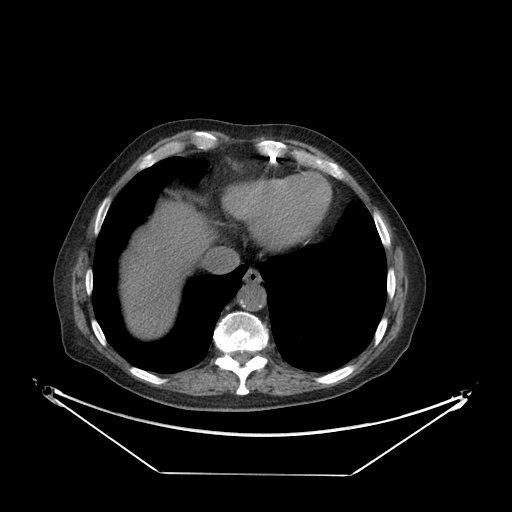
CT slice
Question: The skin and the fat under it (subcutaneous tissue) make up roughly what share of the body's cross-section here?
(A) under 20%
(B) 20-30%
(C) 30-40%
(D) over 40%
Answer: (A) under 20%
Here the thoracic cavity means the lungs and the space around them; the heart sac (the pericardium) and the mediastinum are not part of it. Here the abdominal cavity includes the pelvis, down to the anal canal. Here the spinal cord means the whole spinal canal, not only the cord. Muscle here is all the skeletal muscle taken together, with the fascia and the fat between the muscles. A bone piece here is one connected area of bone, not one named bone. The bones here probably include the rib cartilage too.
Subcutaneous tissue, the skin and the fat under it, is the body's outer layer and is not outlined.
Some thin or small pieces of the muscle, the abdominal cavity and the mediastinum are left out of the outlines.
{"pericardium":[[[252,161],[285,161],[289,164],[309,169],[311,168],[321,172],[333,182],[337,188],[336,205],[330,220],[313,243],[287,253],[274,255],[271,252],[261,250],[234,233],[228,227],[220,224],[218,221],[220,220],[212,214],[209,195],[213,184],[226,169]]],"abdominal_cavity":[[[172,180],[188,182],[205,198],[205,205],[211,214],[219,220],[217,221],[223,227],[223,232],[218,241],[202,258],[197,275],[186,282],[172,329],[158,340],[144,342],[132,337],[124,325],[116,291],[117,262],[132,230],[144,221],[152,211],[158,194]]],"torso":[[[196,117],[241,124],[279,122],[304,126],[342,145],[370,173],[408,228],[426,274],[425,299],[409,347],[390,370],[350,392],[322,401],[259,411],[190,411],[143,398],[64,352],[52,276],[58,252],[83,198],[110,162],[141,133],[167,121]]],"thoracic_cavity":[[[358,200],[364,204],[371,214],[384,248],[387,270],[386,299],[382,316],[376,326],[372,340],[363,351],[347,364],[325,373],[306,371],[286,362],[275,350],[274,332],[269,318],[268,294],[265,280],[258,267],[270,256],[287,254],[327,240],[350,202]],[[170,156],[205,162],[206,172],[196,184],[173,176],[117,257],[115,291],[127,333],[144,343],[164,338],[176,324],[191,278],[247,268],[220,312],[207,356],[177,372],[154,373],[132,365],[107,341],[92,301],[93,262],[112,202],[138,172]]],"mediastinum":[[[222,226],[261,251],[273,254],[260,262],[257,267],[264,280],[267,294],[274,350],[269,347],[270,328],[257,315],[245,310],[233,310],[220,316],[226,304],[241,287],[241,278],[248,264],[242,263],[226,273],[198,274],[203,258],[221,238],[224,232]],[[218,146],[247,146],[261,155],[292,158],[305,166],[285,160],[252,160],[244,163],[240,159],[229,157],[225,163],[230,168],[219,175],[209,191],[208,207],[206,198],[190,184],[198,183],[206,174],[208,164],[196,158],[174,155],[192,150],[206,151]],[[314,169],[317,169],[325,172],[332,177],[343,181],[353,191],[359,199],[352,200],[349,202],[344,211],[337,220],[330,236],[327,239],[317,243],[314,243],[323,232],[334,214],[334,211],[336,208],[338,200],[338,188],[336,187],[334,182],[325,173]]],"spinal_cord":[[[237,351],[239,351],[240,352],[244,352],[245,351],[247,351],[248,352],[249,352],[251,354],[251,357],[247,361],[246,361],[244,364],[241,365],[240,364],[240,363],[237,360],[236,360],[232,356],[233,353],[234,353]]],"bones":[{"outer":[[233,311],[245,311],[257,316],[268,326],[270,333],[269,346],[261,352],[267,358],[267,363],[260,370],[249,373],[245,379],[249,393],[244,395],[236,394],[240,382],[238,376],[231,370],[221,369],[212,361],[221,354],[213,343],[216,323],[220,317]],"hole":[[237,351],[239,351],[240,352],[244,352],[245,351],[247,351],[248,352],[249,352],[251,354],[251,357],[247,361],[246,361],[244,364],[241,365],[240,364],[240,363],[237,360],[236,360],[232,356],[233,353],[234,353]]},[[262,140],[275,140],[276,141],[280,141],[286,144],[290,150],[295,148],[302,149],[321,159],[325,159],[336,163],[342,169],[345,175],[345,179],[344,180],[341,180],[320,169],[300,164],[288,153],[285,157],[261,154],[256,150],[255,144],[257,142]],[[177,140],[185,142],[185,147],[181,152],[174,154],[173,155],[170,155],[164,158],[162,158],[154,163],[151,166],[147,167],[140,171],[137,171],[137,166],[144,156],[149,153],[153,152],[156,149],[166,143],[168,143],[172,141],[176,141]],[[196,130],[202,130],[203,131],[206,131],[207,132],[209,132],[215,135],[218,139],[218,144],[217,146],[213,148],[210,148],[209,149],[207,149],[206,150],[202,150],[201,149],[198,149],[193,145],[192,145],[192,144],[190,142],[190,135],[192,132]],[[348,364],[352,364],[355,366],[355,368],[353,370],[353,371],[352,371],[348,375],[345,376],[341,379],[337,380],[335,382],[333,382],[332,383],[320,383],[319,382],[317,382],[314,379],[314,378],[317,376],[319,376],[320,375],[334,371]],[[108,195],[110,195],[112,197],[112,201],[105,215],[105,217],[103,220],[103,222],[102,223],[101,228],[98,233],[98,235],[97,236],[95,236],[94,234],[94,225],[95,224],[95,220],[96,219],[97,212],[98,211],[98,209],[103,199],[106,196]],[[373,211],[376,211],[380,215],[382,220],[384,222],[386,226],[387,231],[389,234],[389,238],[390,239],[390,246],[388,248],[385,248],[383,246],[381,242],[381,239],[379,236],[378,231],[376,228],[376,226],[375,225],[375,223],[372,216],[372,213]],[[131,366],[134,366],[135,367],[137,367],[145,371],[153,373],[160,377],[163,377],[164,378],[166,378],[167,379],[167,381],[164,383],[161,383],[160,384],[156,384],[155,383],[147,381],[144,379],[142,379],[132,374],[129,371],[129,367]],[[390,267],[392,267],[393,268],[393,269],[394,270],[394,274],[395,275],[395,290],[394,291],[394,294],[393,295],[393,297],[392,298],[392,299],[391,299],[390,300],[389,299],[389,298],[387,296],[387,271],[388,270],[388,268],[389,268]],[[382,317],[386,317],[387,318],[387,326],[386,327],[385,332],[384,333],[382,338],[380,340],[380,341],[378,343],[378,344],[376,346],[374,346],[374,342],[373,341],[374,334],[375,333],[375,331],[377,328],[377,326],[378,325],[380,320],[382,318]],[[93,318],[94,318],[97,321],[98,324],[100,326],[100,327],[105,336],[105,338],[106,339],[106,341],[107,342],[107,344],[105,346],[102,345],[101,344],[101,343],[98,340],[98,339],[96,337],[96,336],[91,327],[91,324],[90,323],[90,320]],[[89,267],[90,267],[91,268],[92,268],[92,273],[93,274],[93,288],[92,289],[92,291],[91,292],[91,295],[88,295],[87,294],[87,292],[86,291],[86,287],[85,286],[85,273],[86,272],[86,270]]],"muscle":[[[337,163],[374,200],[376,206],[385,215],[406,257],[406,267],[409,271],[407,276],[408,290],[401,328],[397,336],[377,357],[359,373],[346,381],[327,388],[290,395],[270,395],[257,391],[250,393],[250,390],[246,386],[246,379],[250,373],[260,371],[268,363],[268,358],[262,353],[267,348],[275,351],[286,363],[297,369],[306,372],[321,373],[313,378],[317,383],[332,384],[353,372],[356,366],[348,363],[363,352],[372,341],[373,346],[376,347],[386,332],[388,318],[383,316],[384,308],[387,297],[390,301],[392,300],[396,290],[395,270],[392,266],[387,267],[385,253],[385,249],[391,246],[390,234],[381,215],[376,210],[373,210],[371,213],[344,181],[346,175]],[[100,203],[93,225],[93,234],[97,237],[92,267],[89,266],[84,273],[85,291],[91,296],[95,317],[89,323],[97,340],[104,347],[108,343],[125,359],[131,365],[128,371],[132,375],[156,385],[168,381],[166,377],[156,374],[172,374],[194,367],[215,349],[220,354],[211,361],[221,370],[233,372],[238,378],[235,394],[226,392],[219,395],[190,395],[146,384],[110,361],[78,329],[73,316],[71,273],[88,225]],[[203,130],[214,130],[221,132],[234,138],[241,138],[242,139],[250,139],[259,136],[270,136],[274,138],[293,139],[294,140],[301,141],[317,148],[328,155],[336,162],[325,158],[321,158],[302,148],[297,148],[295,147],[290,149],[289,146],[286,143],[280,140],[276,140],[275,139],[262,139],[259,140],[254,144],[255,149],[253,147],[250,147],[247,145],[218,145],[219,144],[219,139],[218,137],[215,134],[209,131]],[[188,129],[195,130],[190,133],[189,142],[192,146],[197,149],[183,151],[186,147],[186,142],[178,139],[164,143],[141,158],[136,166],[137,172],[127,182],[113,200],[113,197],[110,194],[106,195],[115,182],[133,162],[146,150],[159,140]]]}